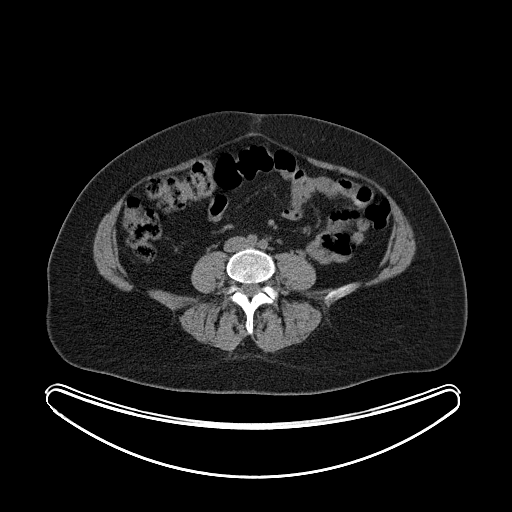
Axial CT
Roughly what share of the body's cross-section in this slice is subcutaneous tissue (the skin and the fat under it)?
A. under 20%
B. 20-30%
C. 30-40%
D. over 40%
D. over 40%
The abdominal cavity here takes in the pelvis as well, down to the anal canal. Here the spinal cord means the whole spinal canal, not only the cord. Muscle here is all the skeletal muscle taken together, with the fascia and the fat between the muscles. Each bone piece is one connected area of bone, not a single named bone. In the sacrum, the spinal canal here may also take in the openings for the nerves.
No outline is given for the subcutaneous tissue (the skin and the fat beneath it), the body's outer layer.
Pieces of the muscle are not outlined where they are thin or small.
The torso is outlined by [[222,110],[295,113],[349,127],[388,147],[420,177],[451,230],[466,282],[466,331],[458,353],[449,363],[433,371],[393,374],[323,393],[267,395],[162,389],[82,369],[57,354],[45,325],[47,264],[60,227],[83,187],[115,156],[149,135],[191,117]]. The muscle is outlined by [[249,132],[262,133],[300,153],[375,180],[407,218],[416,244],[410,264],[401,273],[350,293],[358,286],[356,282],[370,279],[379,270],[394,226],[390,200],[364,179],[316,166],[261,136],[220,147],[182,170],[151,177],[134,187],[125,196],[114,226],[119,262],[136,285],[201,296],[192,284],[192,270],[202,256],[221,251],[229,255],[225,272],[232,281],[225,292],[243,311],[249,335],[254,332],[255,311],[279,296],[267,283],[276,271],[275,254],[303,254],[315,270],[315,282],[309,289],[333,288],[324,299],[340,299],[308,337],[274,352],[263,351],[248,337],[231,352],[199,342],[167,307],[139,292],[120,290],[105,279],[93,258],[93,240],[101,219],[133,183]]. The bones appear in 2 outlined pieces: piece 1: [[250,247],[263,251],[272,257],[275,264],[275,271],[266,283],[271,286],[278,294],[277,298],[272,303],[261,304],[254,311],[252,334],[247,332],[245,326],[246,315],[244,311],[239,305],[229,298],[226,292],[233,282],[226,272],[227,261],[234,253]] with a hole at [[259,283],[260,283],[261,284],[261,287],[259,289],[259,290],[256,293],[255,293],[253,295],[252,295],[250,297],[249,296],[248,296],[246,294],[245,294],[241,290],[241,288],[240,287],[240,285],[241,284],[242,284],[243,285],[244,284],[258,284]]; piece 2: [[352,282],[355,282],[357,283],[358,284],[357,286],[349,293],[348,293],[343,297],[341,298],[338,298],[337,299],[335,298],[332,298],[329,300],[326,300],[325,299],[325,296],[334,288],[336,288],[342,285],[344,285],[348,283],[351,283]]. The abdominal cavity is outlined by [[254,136],[316,167],[364,180],[387,197],[393,226],[378,270],[368,279],[310,289],[316,270],[303,253],[272,256],[250,246],[230,256],[221,250],[202,255],[190,274],[201,295],[140,286],[129,279],[119,259],[115,226],[126,196],[146,180],[182,171]]. The spinal cord is outlined by [[259,283],[260,283],[261,284],[261,287],[259,289],[259,290],[256,293],[255,293],[253,295],[252,295],[250,297],[249,296],[248,296],[246,294],[245,294],[241,290],[241,288],[240,287],[240,285],[241,284],[242,284],[243,285],[244,284],[258,284]].